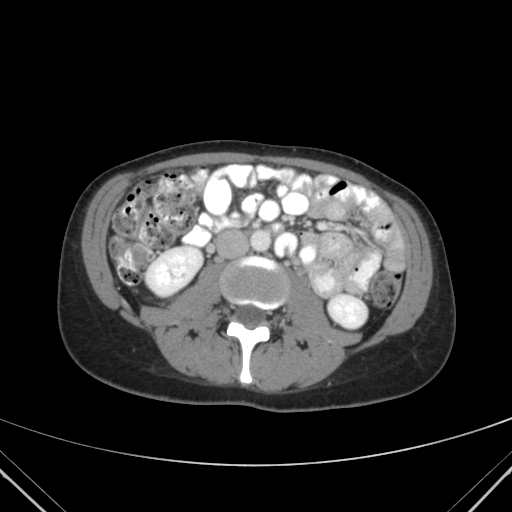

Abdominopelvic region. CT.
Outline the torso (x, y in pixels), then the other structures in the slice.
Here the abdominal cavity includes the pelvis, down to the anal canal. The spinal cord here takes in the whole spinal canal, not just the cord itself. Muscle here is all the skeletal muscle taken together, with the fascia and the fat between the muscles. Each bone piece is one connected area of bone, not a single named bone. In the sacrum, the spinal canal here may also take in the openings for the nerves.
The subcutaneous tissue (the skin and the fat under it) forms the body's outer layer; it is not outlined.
The torso is outlined by 273 413; 345 409; 394 400; 422 388; 444 367; 455 339; 456 302; 442 235; 426 204; 403 183; 353 156; 320 147; 241 139; 173 145; 121 162; 98 174; 76 200; 60 250; 56 319; 70 358; 94 379; 131 394; 183 404; 244 405. The spinal cord is outlined by 251 329; 252 328; 254 328; 258 325; 261 325; 265 323; 265 322; 267 320; 267 311; 265 310; 262 310; 250 304; 248 304; 247 305; 236 305; 234 308; 234 311; 233 312; 233 317; 234 319; 242 323; 246 327; 248 328; 250 328. The abdominal cavity is outlined by 364 338; 383 323; 404 283; 398 219; 373 189; 288 164; 199 163; 141 176; 114 207; 106 237; 108 259; 124 297; 135 309; 141 303; 165 305; 210 263; 226 264; 253 253; 276 260; 285 271; 295 271; 323 301; 332 325; 362 331. The muscle is outlined by 268 394; 293 393; 316 387; 318 383; 329 377; 350 356; 379 343; 389 336; 405 332; 414 325; 426 306; 433 276; 428 235; 416 210; 406 200; 359 173; 331 163; 301 157; 226 151; 203 152; 164 160; 136 171; 119 173; 107 180; 97 190; 89 203; 81 234; 81 252; 84 266; 91 286; 99 299; 106 306; 117 311; 124 319; 145 330; 154 340; 168 363; 182 376; 198 383; 233 385 with a hole at 243 383; 270 336; 267 313; 285 302; 288 268; 335 327; 365 338; 383 323; 403 288; 404 245; 373 189; 256 161; 166 168; 125 190; 106 237; 124 297; 135 309; 165 305; 204 266; 225 263; 219 283; 235 305; 226 332; 239 340. The bones appear in 2 outlined pieces: piece 1: 268 312; 274 310; 285 302; 285 296; 289 289; 289 280; 284 269; 276 261; 272 259; 264 256; 253 254; 242 257; 228 263; 224 268; 219 279; 219 283; 222 293; 226 299; 229 302; 235 305; 236 304; 250 303; 262 309; 265 309; piece 2: 243 383; 250 383; 252 380; 249 371; 249 361; 252 349; 258 342; 268 340; 270 336; 270 327; 266 323; 251 330; 235 321; 232 315; 232 317; 227 324; 226 332; 228 335; 234 336; 239 340; 242 352; 242 368; 239 375; 239 380.